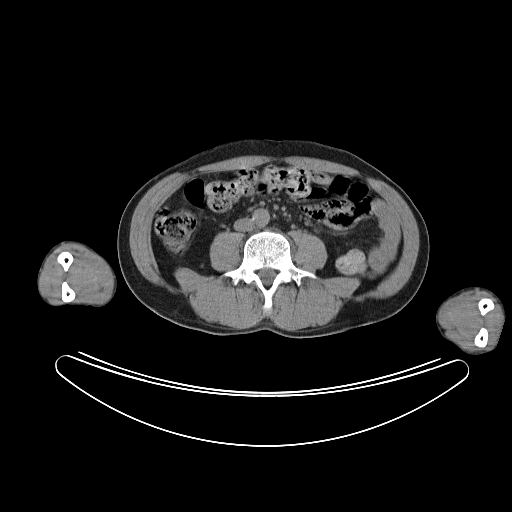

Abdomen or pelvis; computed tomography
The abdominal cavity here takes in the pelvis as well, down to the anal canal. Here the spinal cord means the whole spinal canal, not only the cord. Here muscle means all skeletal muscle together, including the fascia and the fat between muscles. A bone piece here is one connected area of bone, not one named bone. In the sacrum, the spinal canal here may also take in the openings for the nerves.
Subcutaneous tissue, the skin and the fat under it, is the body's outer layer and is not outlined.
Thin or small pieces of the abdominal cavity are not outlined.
The right arm is outlined by (66, 239) (78, 240) (87, 244) (103, 256) (111, 265) (117, 279) (117, 288) (111, 300) (105, 305) (98, 308) (95, 308) (91, 306) (84, 306) (83, 305) (57, 306) (55, 307) (46, 303) (40, 296) (37, 289) (37, 283) (36, 282) (40, 264) (48, 250) (53, 245). The muscle appears in 4 outlined pieces: piece 1: (243, 156) (266, 156) (278, 159) (300, 156) (326, 160) (351, 167) (390, 186) (407, 204) (416, 221) (419, 232) (417, 258) (408, 281) (395, 294) (387, 298) (366, 299) (362, 302) (348, 301) (342, 306) (336, 317) (325, 325) (307, 330) (290, 331) (272, 324) (268, 318) (264, 318) (256, 325) (241, 329) (204, 322) (194, 313) (188, 300) (182, 295) (170, 293) (163, 287) (147, 280) (137, 268) (129, 245) (131, 218) (141, 198) (152, 186) (170, 174) with a hole at (273, 163) (359, 178) (383, 197) (402, 235) (393, 269) (358, 292) (358, 277) (284, 282) (264, 311) (253, 282) (235, 285) (222, 276) (243, 256) (243, 233) (227, 229) (209, 245) (218, 274) (178, 266) (175, 283) (169, 281) (152, 247) (152, 222) (161, 206) (193, 177); piece 2: (64, 243) (75, 243) (85, 247) (102, 260) (107, 266) (112, 275) (113, 287) (109, 297) (104, 302) (99, 304) (72, 302) (76, 297) (76, 293) (66, 280) (62, 281) (60, 284) (60, 298) (63, 302) (52, 302) (42, 294) (39, 280) (44, 264) (49, 255) (56, 248) with a hole at (62, 251) (68, 251) (72, 255) (72, 256) (73, 257) (73, 260) (72, 261) (72, 262) (70, 264) (70, 265) (69, 266) (69, 267) (68, 268) (68, 269) (66, 271) (65, 271) (63, 269) (63, 267) (62, 266) (62, 265) (60, 263) (59, 263) (57, 260) (57, 256); piece 3: (473, 289) (483, 290) (490, 293) (496, 299) (497, 302) (500, 305) (500, 307) (502, 310) (502, 318) (493, 344) (486, 348) (471, 351) (463, 348) (445, 334) (445, 330) (441, 326) (439, 322) (439, 312) (444, 304) (450, 299) (460, 294) (462, 292); inner edges: (482, 327) (484, 327) (485, 328) (486, 328) (486, 329) (487, 330) (487, 343) (486, 344) (486, 345) (484, 347) (480, 347) (479, 346) (477, 346) (476, 345) (475, 345) (475, 344) (474, 343) (474, 338) (475, 337) (476, 334) (479, 331) (480, 328) (481, 328), then (484, 297) (486, 297) (487, 298) (489, 298) (491, 299) (494, 305) (493, 306) (493, 308) (491, 310) (488, 311) (484, 315) (482, 315) (478, 307) (478, 302) (482, 298); piece 4: (296, 230) (303, 230) (315, 236) (317, 236) (325, 245) (325, 248) (327, 252) (327, 259) (323, 267) (320, 269) (318, 269) (315, 273) (307, 269) (298, 267) (294, 263) (292, 259) (292, 255) (291, 254) (291, 244) (290, 243) (292, 240) (289, 238) (288, 235) (289, 233). The abdominal cavity is outlined by (273, 163) (359, 178) (383, 197) (402, 235) (393, 269) (358, 292) (358, 277) (316, 274) (328, 259) (317, 235) (296, 229) (289, 241) (264, 229) (243, 243) (242, 232) (227, 229) (209, 245) (218, 274) (178, 266) (175, 283) (169, 281) (152, 247) (161, 206) (193, 177). The bones appear in 5 outlined pieces: piece 1: (264, 230) (283, 234) (290, 244) (293, 263) (298, 268) (316, 275) (315, 278) (304, 276) (299, 285) (293, 280) (281, 283) (274, 292) (272, 306) (267, 311) (263, 309) (264, 296) (253, 282) (246, 283) (240, 280) (235, 285) (229, 276) (222, 276) (240, 265) (247, 238), around a hole outlined by (262, 268) (271, 268) (276, 271) (276, 274) (275, 275) (275, 276) (274, 277) (274, 278) (273, 279) (271, 284) (268, 286) (266, 286) (264, 284) (263, 284) (263, 283) (262, 282) (260, 277) (258, 275) (258, 274) (257, 273) (257, 271); piece 2: (64, 281) (66, 281) (67, 282) (67, 283) (69, 285) (69, 286) (74, 291) (74, 292) (75, 293) (75, 297) (73, 299) (73, 300) (72, 301) (71, 301) (70, 302) (64, 302) (62, 300) (62, 299) (61, 298) (61, 284) (62, 283) (62, 282) (63, 282); piece 3: (62, 251) (68, 251) (72, 255) (72, 256) (73, 257) (73, 260) (72, 261) (72, 262) (70, 264) (70, 265) (69, 266) (69, 267) (68, 268) (68, 269) (66, 271) (65, 271) (63, 269) (63, 267) (62, 266) (62, 265) (60, 263) (59, 263) (57, 260) (57, 256); piece 4: (482, 327) (484, 327) (485, 328) (486, 328) (486, 329) (487, 330) (487, 343) (486, 344) (486, 345) (484, 347) (480, 347) (479, 346) (477, 346) (476, 345) (475, 345) (475, 344) (474, 343) (474, 338) (475, 337) (476, 334) (479, 331) (480, 328) (481, 328); piece 5: (484, 297) (486, 297) (487, 298) (489, 298) (491, 299) (494, 305) (493, 306) (493, 308) (491, 310) (488, 311) (484, 315) (482, 315) (478, 307) (478, 302) (482, 298). The left arm is outlined by (473, 285) (483, 286) (489, 288) (495, 292) (502, 300) (505, 307) (505, 318) (495, 348) (491, 351) (478, 355) (470, 355) (467, 354) (456, 347) (456, 346) (451, 342) (444, 339) (441, 336) (435, 323) (435, 313) (440, 303) (455, 291) (463, 287) (466, 286) (472, 286). The torso is outlined by (245, 138) (308, 139) (345, 149) (379, 169) (406, 192) (425, 221) (429, 236) (429, 259) (420, 287) (401, 310) (381, 321) (321, 337) (293, 338) (268, 330) (216, 335) (165, 319) (136, 298) (124, 280) (117, 255) (118, 225) (128, 201) (144, 183) (168, 167) (203, 150). The spinal cord is outlined by (262, 268) (271, 268) (276, 271) (276, 274) (275, 275) (275, 276) (274, 277) (274, 278) (273, 279) (271, 284) (268, 286) (266, 286) (264, 284) (263, 284) (263, 283) (262, 282) (260, 277) (258, 275) (258, 274) (257, 273) (257, 271).